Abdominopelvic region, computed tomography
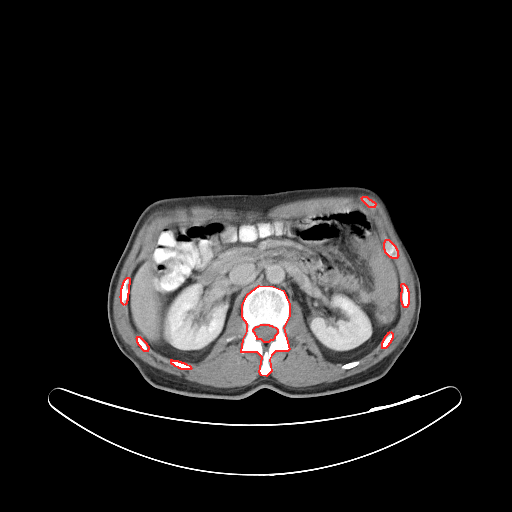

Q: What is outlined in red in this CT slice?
A: red: bones.
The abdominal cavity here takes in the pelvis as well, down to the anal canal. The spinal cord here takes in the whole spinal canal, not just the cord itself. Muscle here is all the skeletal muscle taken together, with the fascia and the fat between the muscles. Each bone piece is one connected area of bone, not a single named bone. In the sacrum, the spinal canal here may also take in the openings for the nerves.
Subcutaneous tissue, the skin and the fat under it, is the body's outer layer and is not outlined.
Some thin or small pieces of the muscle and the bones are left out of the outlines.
The bones appear in 8 outlined pieces: piece 1: [[259,285],[273,286],[283,290],[289,304],[289,316],[283,327],[289,349],[287,351],[275,351],[271,355],[269,359],[271,371],[266,376],[261,375],[259,372],[262,357],[257,352],[241,352],[243,339],[247,331],[247,324],[242,317],[242,305],[247,294]], around a hole outlined by [[261,324],[268,324],[269,325],[271,325],[272,326],[275,327],[277,329],[277,333],[274,336],[274,338],[272,340],[270,340],[268,342],[264,342],[261,339],[257,339],[257,337],[256,336],[255,333],[253,331],[253,329],[256,326],[258,326]]; piece 2: [[386,239],[388,239],[395,246],[395,247],[396,248],[396,249],[397,250],[397,254],[398,255],[397,256],[397,257],[396,258],[392,258],[391,257],[390,257],[385,252],[385,250],[384,249],[384,242],[385,241],[385,240]]; piece 3: [[127,277],[128,277],[129,278],[129,284],[128,285],[128,293],[127,294],[127,300],[126,301],[126,303],[124,305],[121,302],[121,298],[120,297],[120,296],[121,295],[121,288],[122,287],[122,285],[123,284],[123,282],[124,281],[124,280]]; piece 4: [[402,283],[403,283],[406,286],[406,287],[407,288],[407,290],[408,291],[408,304],[407,305],[407,306],[406,307],[404,307],[403,306],[403,305],[402,304],[402,302],[401,301],[401,292],[402,291],[402,288],[401,287],[401,284]]; piece 5: [[171,359],[172,360],[177,360],[178,361],[180,361],[181,362],[183,362],[184,363],[185,363],[186,364],[189,365],[191,368],[190,369],[181,369],[180,368],[179,368],[178,367],[175,366],[173,364],[172,364],[171,363]]; piece 6: [[390,331],[392,333],[392,338],[391,339],[391,340],[390,341],[390,342],[388,344],[388,345],[385,348],[382,348],[382,342],[383,341],[383,340],[384,339],[384,338],[385,337],[385,336],[388,333],[388,332],[389,332]]; piece 7: [[137,336],[139,336],[146,343],[146,344],[148,346],[148,349],[147,350],[147,351],[144,351],[141,348],[141,347],[138,344],[138,343],[137,342],[137,339],[136,338],[137,337]]; piece 8: [[363,196],[366,196],[369,199],[370,199],[372,201],[373,201],[375,203],[375,205],[374,206],[374,207],[369,207],[362,200],[362,199],[361,198]]. The muscle is outlined by [[352,194],[370,195],[374,197],[382,206],[389,222],[389,224],[392,229],[392,231],[398,241],[398,243],[409,265],[413,277],[414,290],[415,291],[415,308],[414,309],[412,321],[407,334],[401,342],[388,355],[372,366],[363,371],[336,381],[333,381],[329,383],[323,382],[302,388],[287,386],[282,383],[277,382],[272,377],[268,377],[267,378],[261,378],[260,377],[256,379],[253,383],[241,387],[229,387],[228,388],[225,388],[224,387],[213,387],[208,385],[202,385],[194,382],[191,382],[182,377],[179,377],[173,374],[164,372],[149,365],[139,358],[128,347],[121,338],[117,330],[114,321],[114,316],[113,315],[113,301],[114,300],[114,294],[115,293],[117,282],[123,264],[132,247],[132,245],[139,229],[148,216],[153,213],[158,208],[164,208],[165,207],[184,207],[185,206],[195,206],[196,205],[205,206],[208,205],[218,208],[226,208],[227,209],[259,210],[260,209],[270,209],[277,205],[287,202],[295,201],[296,200],[301,200],[302,199],[307,199],[314,197],[342,196],[343,195],[351,195]], around holes outlined by [[348,207],[365,208],[375,221],[382,241],[388,239],[395,246],[398,255],[391,259],[399,283],[408,291],[408,304],[404,307],[401,301],[399,303],[399,316],[385,348],[382,348],[382,339],[358,359],[356,366],[343,369],[342,363],[324,357],[306,325],[302,307],[291,297],[288,298],[289,316],[283,327],[289,349],[271,355],[271,371],[266,376],[259,372],[262,357],[257,352],[241,352],[247,324],[242,317],[240,297],[232,306],[222,334],[203,359],[187,364],[190,369],[181,369],[172,364],[170,358],[149,346],[144,351],[138,344],[139,335],[132,325],[128,302],[124,305],[121,302],[121,288],[124,280],[131,278],[160,230],[167,225],[182,220],[210,219],[254,222]] and by [[363,196],[366,196],[369,199],[370,199],[372,201],[373,201],[375,203],[375,205],[374,206],[374,207],[369,207],[362,200],[362,199],[361,198]]. The abdominal cavity is outlined by [[348,207],[365,208],[375,221],[401,288],[395,325],[358,359],[344,363],[326,359],[300,304],[283,289],[267,284],[253,287],[242,304],[240,297],[235,300],[222,334],[198,362],[158,353],[132,325],[127,301],[130,279],[167,225],[210,219],[254,222]]. The spinal cord is outlined by [[261,324],[268,324],[269,325],[271,325],[272,326],[275,327],[277,329],[277,333],[274,336],[274,338],[272,340],[270,340],[268,342],[264,342],[261,339],[257,339],[257,337],[256,336],[255,333],[253,331],[253,329],[256,326],[258,326]]. The torso is outlined by [[331,185],[362,186],[381,196],[418,274],[421,289],[418,324],[409,343],[387,373],[347,391],[304,398],[284,396],[268,388],[259,389],[241,399],[199,398],[159,389],[147,382],[118,348],[107,317],[109,282],[141,212],[152,202],[171,196],[267,193]].